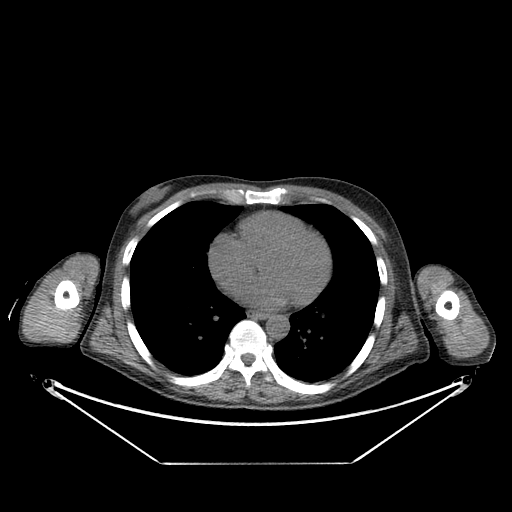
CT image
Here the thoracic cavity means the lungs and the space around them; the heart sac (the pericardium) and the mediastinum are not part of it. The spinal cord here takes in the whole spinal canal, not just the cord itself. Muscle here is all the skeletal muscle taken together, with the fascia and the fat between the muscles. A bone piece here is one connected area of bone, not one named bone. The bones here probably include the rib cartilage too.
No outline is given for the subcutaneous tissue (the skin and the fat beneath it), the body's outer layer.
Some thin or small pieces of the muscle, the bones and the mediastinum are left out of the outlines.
Outlines:
right arm: 79,250 87,250 97,254 100,258 100,268 102,273 100,283 96,287 94,307 92,313 88,324 78,342 68,349 58,349 48,347 33,348 24,345 18,338 17,327 19,311 28,292 35,281 51,266 64,256
muscle 1: 215,182 242,183 257,186 261,188 265,188 269,186 274,186 280,184 292,184 293,185 301,185 302,186 310,186 311,187 321,188 341,195 367,213 375,220 387,234 387,240 383,244 392,264 392,269 394,274 394,281 396,287 394,294 393,312 396,316 401,311 405,311 409,316 419,340 417,349 415,351 400,358 386,363 378,369 365,375 360,379 356,380 354,382 350,383 347,386 327,395 309,400 287,400 277,403 260,403 247,397 245,397 242,401 222,401 216,399 209,399 205,396 200,395 186,394 185,393 182,394 167,388 163,383 157,381 149,375 117,359 113,359 111,355 91,350 91,347 89,344 90,335 96,325 96,321 101,314 102,308 107,302 110,303 112,301 113,279 114,278 113,274 117,255 124,241 127,238 130,232 134,229 136,222 144,214 159,206 175,193 188,187 192,187 196,185 206,184 207,183 214,183, around a hole outlined by 275,187 289,191 289,204 325,198 348,217 360,219 374,234 377,244 371,247 374,255 383,259 387,283 379,284 378,295 384,296 385,308 379,327 373,324 369,330 375,335 370,351 350,375 344,376 346,366 328,379 335,385 323,393 301,394 274,380 267,381 262,371 253,374 248,388 242,374 229,369 227,377 197,387 170,382 167,374 179,375 153,356 152,368 127,329 127,321 134,321 131,308 125,310 121,303 122,280 130,275 130,266 122,262 128,242 135,236 140,240 149,230 149,219 177,200 184,204 219,200 216,194 203,192 210,189 268,191
muscle 2: 78,254 87,254 93,256 98,263 98,271 91,295 89,298 89,305 82,319 81,328 77,336 72,341 67,343 51,341 35,342 28,340 22,332 22,322 25,308 31,296 44,278 50,272 60,268 66,260, around a hole outlined by 64,279 69,279 75,284 77,291 78,292 78,294 79,295 79,302 77,305 75,307 73,308 70,308 69,309 61,309 56,307 55,305 55,302 54,301 54,292 55,291 55,289 59,282 61,280 63,280
muscle 3: 428,266 439,266 449,271 453,276 455,283 466,293 473,309 484,322 489,332 489,342 488,345 481,353 471,357 457,359 447,352 441,336 433,326 427,314 423,310 423,304 416,292 418,275 424,268 with a hole at 446,289 450,289 454,291 457,294 459,298 459,311 456,317 453,319 445,319 441,316 440,316 436,312 435,310 435,304 436,303 436,301 437,300 437,298 438,296 441,293 442,291
pericardium: 262,208 279,210 291,214 311,224 323,235 329,246 332,258 331,277 328,283 317,297 301,309 293,309 289,311 274,311 256,309 241,305 218,289 210,273 208,267 207,252 209,249 210,242 213,238 242,214
mediastinum 1: 236,303 247,308 251,308 256,310 263,310 264,311 289,312 293,310 299,310 293,312 289,316 290,328 287,335 272,345 267,340 267,335 263,328 256,321 252,319 245,318 246,317 245,310 241,306
mediastinum 2: 290,203 291,203 291,204 287,205 283,205 280,208 280,210 279,209 275,209 274,208 262,207 258,209 254,209 253,210 242,213 240,215 236,217 243,210 243,207 241,205 240,205 252,205 253,204 271,204 286,205 287,204
spinal cord: 246,353 250,353 251,354 252,354 254,356 254,360 250,364 245,364 243,362 243,361 242,360 242,359 241,358 241,357 242,356 242,355 243,355 244,354 245,354
left arm: 430,262 439,262 445,264 461,275 471,286 479,304 492,324 496,334 496,342 491,356 485,364 475,367 473,366 452,367 439,358 437,348 430,333 426,329 417,308 413,279 413,274 415,273 418,268 420,266
bones 1: 243,319 262,328 273,347 275,362 286,374 306,383 331,381 335,385 323,393 301,394 267,381 266,374 257,371 247,388 242,374 229,369 227,377 197,387 170,382 167,374 194,376 212,369 224,354 230,331 with a hole at 246,353 250,353 251,354 252,354 254,356 254,360 250,364 245,364 243,362 243,361 242,360 242,359 241,358 241,357 242,356 242,355 243,355 244,354 245,354
bones 2: 275,187 283,187 286,188 289,191 288,195 289,201 286,204 272,204 271,203 234,204 220,199 216,194 203,192 210,189 216,189 217,190 224,188 229,189 231,188 241,188 242,189 250,189 255,191 268,191
bones 3: 64,279 69,279 75,284 77,291 78,292 78,294 79,295 79,302 77,305 75,307 73,308 70,308 69,309 61,309 56,307 55,305 55,302 54,301 54,292 55,291 55,289 59,282 61,280 63,280
bones 4: 446,289 450,289 454,291 457,294 459,298 459,311 456,317 453,319 445,319 441,316 440,316 436,312 435,310 435,304 436,303 436,301 437,300 437,298 438,296 441,293 442,291
bones 5: 128,320 130,320 134,323 134,325 141,339 150,352 152,356 152,359 153,360 154,365 155,366 155,369 152,368 144,360 144,359 140,355 140,354 134,346 127,329 127,324 126,323
bones 6: 370,333 373,333 375,335 375,339 374,340 373,345 370,351 368,353 367,356 365,358 363,362 360,365 360,366 350,375 345,377 344,375 347,370 347,367 359,352 363,344 365,342 368,335
bones 7: 180,199 181,199 183,201 183,203 181,205 176,207 174,209 167,213 164,216 160,218 151,227 149,228 147,227 146,225 147,224 147,222 150,218 151,218 159,211 162,210 173,202 177,200 179,200
bones 8: 124,276 128,276 129,277 129,299 130,300 130,307 128,309 127,309 126,310 125,310 123,308 123,307 122,306 122,304 121,303 121,284 122,283 122,280 123,279 123,277
bones 9: 382,295 384,296 385,298 385,308 384,309 384,313 383,314 383,317 382,318 381,323 379,327 378,328 376,328 373,324 373,321 374,320 375,310 376,309 376,305 377,304 378,298 379,296 381,296
bones 10: 352,215 360,219 370,228 370,229 372,231 372,232 374,234 376,238 376,240 377,241 377,244 376,245 373,245 370,242 370,241 368,239 366,235 350,217 350,216
bones 11: 135,236 137,236 138,237 139,240 138,241 138,242 132,253 132,255 131,256 131,258 130,259 129,264 128,265 124,265 122,262 122,259 123,258 123,254 124,253 125,248 126,247 128,242 133,237 134,237
bones 12: 377,256 380,256 383,259 383,261 385,264 385,267 386,268 386,271 387,272 387,283 385,285 383,285 380,283 380,278 379,277 379,273 378,272 378,268 377,267 377,262 376,261 376,257
thoracic cavity 1: 210,199 242,207 242,210 210,240 206,256 207,267 215,286 222,294 244,310 245,317 236,322 229,331 223,347 223,354 212,368 194,375 179,375 152,355 135,325 131,309 129,265 139,241 160,219 185,203
thoracic cavity 2: 292,202 331,205 349,217 371,244 379,278 372,325 360,349 347,366 329,379 317,383 306,382 289,375 280,368 273,356 273,346 290,331 290,316 315,300 329,283 333,273 332,252 324,235 311,223 281,210
torso: 199,173 230,175 250,180 304,175 332,177 359,185 378,197 392,215 407,252 416,308 429,342 429,358 339,402 307,409 252,410 205,407 176,401 84,356 79,341 99,299 107,249 124,208 152,185 170,178